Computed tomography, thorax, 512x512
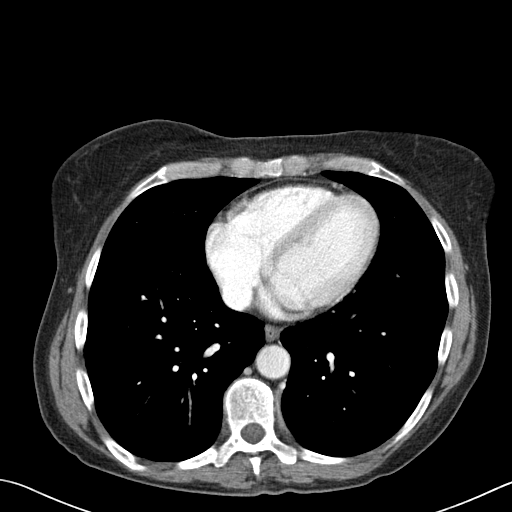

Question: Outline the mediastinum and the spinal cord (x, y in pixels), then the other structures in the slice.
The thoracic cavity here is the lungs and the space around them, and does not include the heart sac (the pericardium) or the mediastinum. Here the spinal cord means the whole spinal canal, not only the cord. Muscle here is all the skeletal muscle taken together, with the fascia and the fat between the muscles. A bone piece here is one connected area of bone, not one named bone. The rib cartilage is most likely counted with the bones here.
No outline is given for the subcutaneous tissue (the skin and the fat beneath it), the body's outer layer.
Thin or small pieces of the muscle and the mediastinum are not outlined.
Answer: {"mediastinum":[[[218,286],[222,298],[234,309],[249,312],[255,308],[276,321],[293,322],[304,320],[325,312],[294,325],[289,325],[280,333],[280,341],[290,355],[291,365],[279,405],[276,405],[273,390],[264,381],[252,376],[238,377],[265,343],[264,322],[252,314],[229,308],[223,302]],[[320,171],[324,176],[329,179],[344,185],[340,185],[325,179],[318,179],[317,178],[286,179],[283,181],[264,183],[249,191],[242,193],[241,195],[233,199],[239,194],[257,184],[258,179],[256,178],[278,178],[282,176],[305,176],[308,174],[313,174]]],"spinal_cord":[[[251,423],[256,423],[257,424],[260,425],[264,431],[264,434],[263,435],[263,436],[258,441],[257,441],[254,443],[252,443],[251,442],[249,442],[248,441],[247,441],[242,436],[242,435],[241,434],[242,429],[246,425],[247,425],[248,424],[250,424]]],"pericardium":[[[306,179],[325,180],[344,186],[371,204],[379,220],[380,235],[376,252],[369,267],[353,290],[341,301],[311,317],[281,321],[265,316],[255,307],[249,311],[234,308],[223,298],[220,287],[207,262],[205,242],[209,226],[219,212],[246,192],[264,184]]],"bones":[{"outer":[[241,377],[259,379],[270,387],[285,426],[302,447],[350,459],[337,464],[303,459],[286,464],[272,451],[264,450],[256,454],[261,459],[257,476],[249,459],[253,455],[237,451],[220,467],[208,463],[177,468],[176,462],[213,444],[220,431],[224,393]],"hole":[[251,423],[256,423],[257,424],[260,425],[264,431],[264,434],[263,435],[263,436],[258,441],[257,441],[254,443],[252,443],[251,442],[249,442],[248,441],[247,441],[242,436],[242,435],[241,434],[242,429],[246,425],[247,425],[248,424],[250,424]]},[[292,155],[303,156],[308,160],[310,166],[306,170],[307,174],[305,175],[282,175],[278,177],[237,177],[229,175],[230,172],[229,164],[233,159],[238,157],[245,156],[253,161],[265,161],[268,159],[278,158],[279,157],[282,158],[283,160],[286,160]],[[183,162],[217,162],[221,165],[221,168],[216,174],[211,176],[206,176],[205,177],[174,179],[166,183],[163,183],[162,184],[159,184],[153,186],[142,192],[130,201],[130,199],[128,197],[130,192],[139,183],[155,172],[160,167],[164,165],[178,164]],[[346,157],[348,158],[353,157],[357,159],[367,160],[368,161],[373,160],[379,163],[388,170],[399,175],[403,180],[403,185],[401,186],[386,179],[368,175],[358,171],[325,169],[325,162],[326,161],[331,159],[339,159],[340,158],[345,158]],[[429,385],[432,385],[433,387],[433,392],[432,393],[431,399],[423,414],[415,424],[415,425],[403,437],[399,439],[396,442],[392,443],[394,435],[403,425],[403,424],[412,413],[412,412],[416,407],[417,404],[419,402],[422,395],[429,386]],[[107,434],[108,434],[121,446],[122,446],[125,449],[132,453],[136,457],[136,461],[138,463],[146,466],[147,467],[146,469],[145,470],[131,470],[129,469],[123,463],[119,461],[112,454],[112,453],[107,448],[105,444],[102,441],[102,438],[101,437]],[[78,367],[81,367],[86,370],[91,385],[91,389],[93,393],[93,399],[94,400],[93,403],[94,406],[92,410],[90,411],[85,405],[82,399],[82,396],[80,393],[80,391],[78,388],[78,385],[76,380],[76,369]],[[81,308],[85,308],[87,310],[87,332],[86,333],[86,336],[85,337],[85,342],[83,346],[83,349],[81,350],[78,350],[76,348],[76,346],[75,345],[75,337],[74,336],[74,325],[75,324],[75,319],[76,318],[77,313],[78,311]],[[446,270],[447,271],[451,271],[454,274],[454,276],[457,283],[457,287],[458,288],[458,295],[459,296],[458,302],[457,304],[452,308],[449,308],[449,306],[448,305],[448,301],[447,300],[447,296],[446,295],[446,291],[445,290],[445,271]],[[445,325],[449,326],[449,327],[452,331],[452,339],[451,340],[451,345],[449,349],[449,352],[445,360],[445,362],[441,365],[438,365],[438,362],[437,361],[437,352],[439,348],[439,343],[440,342],[440,338],[441,337],[441,334],[442,333],[442,331]],[[430,216],[435,216],[441,223],[441,224],[444,227],[445,230],[447,232],[447,234],[448,235],[448,236],[449,237],[449,239],[451,242],[451,251],[450,251],[448,253],[445,253],[443,250],[443,248],[441,245],[441,243],[429,220],[429,217]],[[100,245],[102,245],[102,249],[100,253],[100,256],[99,257],[99,260],[97,264],[97,267],[96,268],[91,285],[89,289],[87,289],[85,284],[85,275],[86,274],[86,270],[87,269],[88,264],[90,261],[90,259],[94,251],[97,248],[97,247]]],"thoracic_cavity":[[[213,176],[257,179],[257,183],[231,199],[213,218],[206,231],[204,252],[222,302],[231,310],[261,320],[264,343],[224,391],[219,431],[211,445],[177,461],[141,459],[109,434],[96,411],[84,356],[90,288],[106,240],[120,215],[135,198],[174,180]],[[324,170],[358,172],[402,187],[428,219],[444,254],[448,309],[434,375],[393,435],[350,456],[302,446],[288,429],[280,409],[292,365],[291,355],[280,338],[282,331],[334,312],[336,305],[356,291],[380,241],[380,220],[372,204],[350,187],[324,175]]],"muscle":[[[402,177],[439,212],[457,239],[467,265],[466,282],[473,289],[477,328],[473,358],[464,375],[429,419],[381,465],[349,479],[315,479],[311,484],[270,479],[248,489],[227,488],[198,480],[162,481],[127,470],[93,448],[62,419],[49,382],[49,348],[71,306],[77,274],[100,227],[127,196],[130,202],[113,224],[103,246],[98,245],[89,259],[84,275],[84,284],[89,290],[87,309],[81,307],[77,311],[73,325],[74,345],[78,351],[83,350],[86,367],[75,369],[77,388],[86,408],[90,412],[95,408],[108,433],[100,437],[101,441],[119,462],[131,471],[145,471],[148,467],[137,458],[175,462],[179,470],[208,464],[220,468],[235,453],[243,452],[252,455],[248,459],[257,477],[262,460],[257,454],[264,451],[272,452],[286,465],[303,460],[337,465],[392,436],[391,443],[396,443],[416,425],[432,399],[434,387],[430,383],[437,367],[446,362],[452,345],[453,331],[445,324],[448,310],[454,308],[460,298],[455,274],[445,270],[445,254],[452,251],[448,232],[435,215],[427,217],[403,187]],[[316,153],[341,153],[345,155],[357,155],[358,156],[373,159],[368,160],[367,159],[357,158],[353,156],[331,158],[326,160],[324,162],[324,169],[313,173],[307,173],[307,170],[311,166],[309,160],[303,155],[294,154],[310,155]],[[202,157],[219,157],[220,158],[223,158],[224,157],[237,157],[233,158],[229,162],[228,164],[228,169],[229,170],[228,175],[215,175],[222,168],[222,165],[217,161],[183,161],[178,163],[166,164],[170,162],[177,162],[178,161],[193,161]],[[148,175],[149,175],[147,177],[146,177],[143,180],[142,180],[140,182],[139,182],[130,191],[130,190],[132,188],[132,187],[133,187],[134,186],[134,185],[136,183],[137,183],[141,179],[142,179],[143,178],[144,178],[146,176],[147,176]]],"torso":[[[152,118],[231,137],[353,129],[434,135],[470,148],[492,172],[485,360],[447,427],[406,465],[363,486],[329,493],[284,492],[253,499],[191,495],[88,467],[50,433],[39,411],[33,349],[57,262],[51,182],[62,162],[84,143]]]}